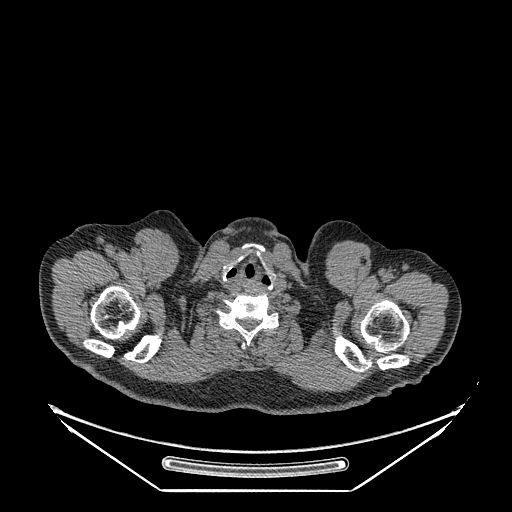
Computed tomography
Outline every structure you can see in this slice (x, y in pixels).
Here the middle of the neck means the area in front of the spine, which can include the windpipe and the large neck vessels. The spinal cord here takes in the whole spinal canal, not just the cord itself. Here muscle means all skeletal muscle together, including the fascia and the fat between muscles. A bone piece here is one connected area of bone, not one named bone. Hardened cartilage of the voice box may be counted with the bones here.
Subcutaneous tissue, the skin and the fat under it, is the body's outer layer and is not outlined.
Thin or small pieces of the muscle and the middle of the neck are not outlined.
{"middle_of_the_neck":[[[250,252],[254,252],[268,275],[270,279],[269,290],[273,288],[276,277],[272,270],[281,271],[287,275],[288,287],[278,290],[247,291],[242,289],[231,289],[219,284],[215,279],[216,274],[221,270],[221,278],[226,282],[228,280],[228,272]]],"muscle":[{"outer":[[145,227],[178,245],[176,277],[218,238],[264,231],[287,244],[326,306],[333,301],[323,276],[326,252],[344,239],[363,242],[374,271],[407,265],[447,287],[443,334],[408,365],[409,356],[396,351],[410,324],[397,303],[382,298],[359,321],[379,355],[335,328],[333,352],[358,373],[374,363],[381,371],[402,368],[349,391],[312,392],[263,372],[184,384],[137,377],[59,329],[50,266],[71,249],[107,241],[125,248]],"holes":[[[109,285],[117,285],[127,289],[137,302],[140,308],[140,315],[139,320],[133,330],[127,330],[120,338],[111,342],[114,345],[115,352],[110,358],[106,358],[86,349],[83,345],[83,340],[88,337],[102,337],[93,326],[90,319],[90,311],[100,292]],[[245,243],[258,243],[265,248],[262,256],[268,267],[272,270],[281,271],[286,274],[288,287],[278,290],[247,291],[242,289],[231,289],[218,283],[215,279],[216,274],[222,269],[223,266],[235,260],[250,249],[246,248],[243,250],[241,248],[242,245]],[[239,293],[253,295],[266,293],[270,307],[276,310],[279,315],[279,325],[273,329],[260,330],[253,338],[250,345],[245,349],[241,347],[243,338],[240,333],[235,329],[224,329],[220,326],[219,317],[215,312],[215,309],[223,306],[221,299],[232,300]],[[162,330],[162,341],[161,342],[160,347],[157,352],[149,360],[145,362],[143,362],[142,363],[137,363],[136,362],[131,362],[130,361],[125,360],[122,358],[122,355],[126,351],[129,350],[143,335],[145,335],[146,334],[155,334],[156,333],[158,333]]]}],"torso":[[[157,209],[173,212],[201,243],[181,307],[186,341],[231,385],[302,347],[307,249],[330,220],[352,222],[386,247],[352,303],[356,343],[430,372],[362,405],[292,415],[176,409],[94,378],[49,337],[118,345],[136,334],[145,305],[143,263],[125,224]]],"spinal_cord":[[[246,318],[251,318],[252,319],[255,319],[256,320],[258,320],[259,321],[260,321],[259,322],[259,323],[253,329],[251,329],[250,330],[248,330],[247,329],[246,329],[245,328],[244,328],[237,321],[237,319],[245,319]]],"right_arm":[[[85,223],[124,224],[130,234],[141,259],[143,290],[144,291],[143,309],[135,334],[128,340],[118,344],[107,344],[97,341],[85,340],[80,338],[49,336],[41,316],[38,294],[38,272],[42,257],[47,248],[56,239],[69,234],[76,227]]],"bones":[[[382,299],[388,299],[397,304],[409,324],[406,339],[395,351],[407,355],[410,361],[405,366],[386,370],[381,370],[374,362],[363,372],[354,371],[347,367],[334,352],[333,329],[375,359],[380,354],[365,341],[360,331],[360,321],[368,308],[374,302]],[[109,285],[117,285],[127,289],[137,302],[140,308],[140,315],[139,320],[133,330],[127,330],[120,338],[111,342],[114,345],[115,352],[110,358],[106,358],[86,349],[83,345],[83,340],[88,337],[102,337],[93,326],[90,319],[90,311],[100,292]],{"outer":[[239,293],[253,295],[266,293],[270,307],[276,310],[279,315],[279,325],[273,329],[260,330],[253,338],[250,345],[245,349],[241,347],[243,338],[240,333],[235,329],[224,329],[220,326],[219,317],[215,312],[215,309],[223,306],[221,299],[232,300]],"hole":[[246,318],[251,318],[252,319],[255,319],[256,320],[258,320],[259,321],[260,321],[259,322],[259,323],[253,329],[251,329],[250,330],[248,330],[247,329],[246,329],[245,328],[244,328],[237,321],[237,319],[245,319]]},[[162,330],[162,341],[161,342],[160,347],[157,352],[149,360],[145,362],[143,362],[142,363],[137,363],[136,362],[131,362],[130,361],[125,360],[122,358],[122,355],[126,351],[129,350],[143,335],[145,335],[146,334],[155,334],[156,333],[158,333]],[[245,243],[258,243],[265,248],[265,251],[262,253],[262,256],[267,266],[275,275],[271,289],[269,289],[269,287],[271,285],[271,279],[266,272],[266,270],[258,256],[254,251],[248,252],[250,250],[249,248],[246,248],[243,250],[241,248],[242,245]],[[245,253],[247,253],[246,255],[240,261],[236,263],[227,272],[226,274],[226,278],[227,280],[226,281],[224,281],[222,278],[222,268],[223,266],[235,260],[240,255],[242,254],[244,254]]],"left_arm":[[[387,247],[390,249],[410,248],[425,252],[435,262],[449,272],[458,288],[462,307],[461,317],[455,338],[449,351],[443,360],[438,365],[432,367],[430,370],[415,365],[404,358],[395,355],[366,350],[357,343],[353,322],[353,303],[371,264],[380,256]]],"head_and_neck":[[[246,216],[258,216],[271,221],[280,232],[286,235],[291,240],[297,256],[301,260],[305,258],[309,278],[307,335],[294,357],[237,383],[231,384],[211,367],[188,343],[182,315],[182,307],[198,261],[202,244],[215,231],[223,228],[228,223],[235,219]]]}